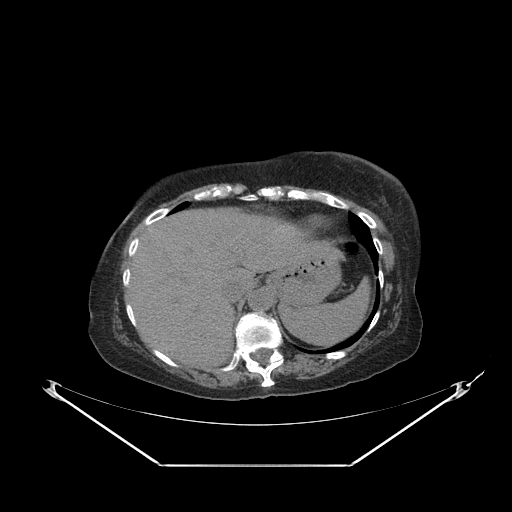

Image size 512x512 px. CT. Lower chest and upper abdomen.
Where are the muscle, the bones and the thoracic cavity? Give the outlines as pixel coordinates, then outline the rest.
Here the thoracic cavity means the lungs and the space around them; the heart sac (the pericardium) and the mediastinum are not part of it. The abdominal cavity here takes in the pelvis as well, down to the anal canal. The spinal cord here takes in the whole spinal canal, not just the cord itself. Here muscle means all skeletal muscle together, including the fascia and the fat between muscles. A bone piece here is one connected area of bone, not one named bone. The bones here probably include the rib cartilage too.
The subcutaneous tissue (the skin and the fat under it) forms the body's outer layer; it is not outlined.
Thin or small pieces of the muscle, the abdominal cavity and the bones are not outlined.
The muscle appears in 3 outlined pieces: piece 1: 335,195 372,211 391,235 401,281 400,319 391,334 340,367 310,379 282,376 276,383 271,373 284,362 280,348 285,342 301,352 321,354 328,360 338,360 347,355 344,349 355,343 365,332 368,333 380,317 381,312 378,309 380,290 384,286 384,273 379,267 379,256 384,250 381,240 371,233 377,223 362,210 354,213 348,210 349,204; piece 2: 145,216 142,221 144,229 139,237 134,237 128,245 127,253 131,257 131,264 121,274 122,284 128,290 129,302 124,305 124,308 130,323 135,328 139,328 145,340 152,347 151,352 171,367 178,368 179,364 193,368 223,366 219,369 227,372 233,370 242,360 247,372 261,375 260,386 216,389 199,385 166,371 114,337 112,313 117,267 130,232; piece 3: 211,183 241,183 250,188 259,188 255,192 243,193 245,190 245,187 242,185 233,186 229,183 214,184 209,188 195,192 191,196 194,200 191,201 184,200 172,208 159,207 151,211 161,203 168,201 185,191. The bones appear in 10 outlined pieces: piece 1: 248,312 261,312 273,317 284,340 279,348 279,351 283,355 283,362 271,371 270,377 275,383 271,386 261,386 262,375 258,372 247,371 242,359 233,369 227,371 220,369 232,357 236,348 235,327 240,317 with a hole at 260,348 267,348 268,349 270,349 271,350 271,354 269,356 269,357 268,358 268,360 267,361 267,363 264,365 262,365 261,364 260,364 256,360 253,359 251,357 251,354 252,353 255,352 258,349 259,349; piece 2: 225,184 244,187 243,194 277,185 285,192 290,189 324,191 343,200 349,208 337,208 315,200 296,200 285,195 279,200 260,196 257,200 246,201 240,199 238,194 231,193 224,198 195,200 192,197 195,193; piece 3: 159,208 171,208 170,211 166,215 165,215 160,219 158,219 156,221 154,221 152,223 151,223 148,225 145,225 143,222 144,219 151,212 152,212 154,210 155,210 156,209 158,209; piece 4: 357,211 362,211 363,212 364,212 365,213 366,213 367,214 368,214 375,221 375,222 376,223 376,227 375,228 372,228 371,229 355,213; piece 5: 153,348 158,350 160,352 166,355 173,361 177,363 179,365 179,366 178,367 174,367 164,362 161,359 157,357 152,352 152,349; piece 6: 127,303 129,303 130,304 130,305 133,310 133,312 134,313 134,315 135,316 135,318 136,319 136,321 137,322 137,327 135,327 131,323 130,320 128,318 128,316 126,313 126,309 125,308 125,305; piece 7: 339,350 344,350 346,352 346,355 345,356 344,356 341,358 339,358 338,359 333,359 332,358 329,358 328,359 325,357 325,354 326,353 328,353 329,352 334,352 335,351 338,351; piece 8: 136,237 137,237 138,238 138,243 137,244 137,248 136,249 136,251 135,252 135,253 132,256 130,256 129,255 129,254 128,253 128,249 129,248 129,245 130,244 130,242 134,238 135,238; piece 9: 372,236 375,236 376,237 377,237 380,240 380,241 381,242 381,244 382,245 382,249 383,250 383,252 381,255 379,255 379,254 378,253 378,252 375,247 375,245 374,244 374,242 373,241 373,237; piece 10: 377,310 379,310 379,311 380,312 380,313 379,314 379,317 378,318 376,323 374,325 374,326 368,332 367,332 366,331 366,330 369,326 369,325 370,324 370,323 371,322 371,321 372,320 375,313 377,311. The thoracic cavity appears in 3 outlined pieces: piece 1: 349,211 355,214 370,229 372,241 374,247 378,254 378,270 377,273 376,273 374,269 374,264 372,261 372,258 370,255 370,253 364,244 362,243 362,242 360,241 360,240 358,239 352,232 348,220 348,213; piece 2: 378,280 378,286 379,287 378,308 374,313 365,331 355,342 343,349 329,351 324,354 308,353 301,351 297,348 303,348 314,351 326,349 343,342 348,338 353,336 362,327 368,319 372,311 376,297 376,288; piece 3: 184,201 189,201 189,204 186,207 184,207 182,209 180,209 177,211 174,211 171,213 169,213 171,211 171,210 174,207 175,207 177,205 178,205 180,203 181,203. The spinal cord is outlined by 260,348 267,348 268,349 270,349 271,350 271,354 269,356 269,357 268,358 268,360 267,361 267,363 264,365 262,365 261,364 260,364 256,360 253,359 251,357 251,354 252,353 255,352 258,349 259,349. The mediastinum appears in 2 outlined pieces: piece 1: 228,197 235,197 246,202 257,201 261,198 270,201 301,200 319,202 333,208 347,210 350,231 346,229 345,218 341,213 305,205 287,205 283,207 265,204 249,206 195,206 185,209 192,201 210,201; piece 2: 256,288 263,288 270,291 272,294 272,299 273,300 272,302 272,307 273,308 274,317 261,311 248,311 245,313 243,313 240,316 240,313 244,307 244,303 246,301 246,298 248,297 248,294 249,294 252,290. The pericardium is outlined by 292,206 298,206 299,207 305,206 307,208 319,208 323,210 329,210 332,212 337,212 341,214 344,218 345,229 338,229 331,231 312,231 300,223 300,218 298,214 296,213 296,211 295,210 294,211 294,208. The torso is outlined by 296,150 336,150 358,155 389,171 406,187 417,211 422,243 415,284 423,319 417,351 385,371 332,390 239,401 203,399 168,390 125,374 105,362 87,333 89,285 106,242 136,195 158,177 174,170 260,160. The abdominal cavity is outlined by 257,205 291,206 299,223 312,232 351,230 369,253 377,274 367,319 353,335 329,347 294,347 285,341 275,318 273,294 256,287 239,313 229,361 215,367 176,362 146,340 130,303 130,266 142,232 184,208.